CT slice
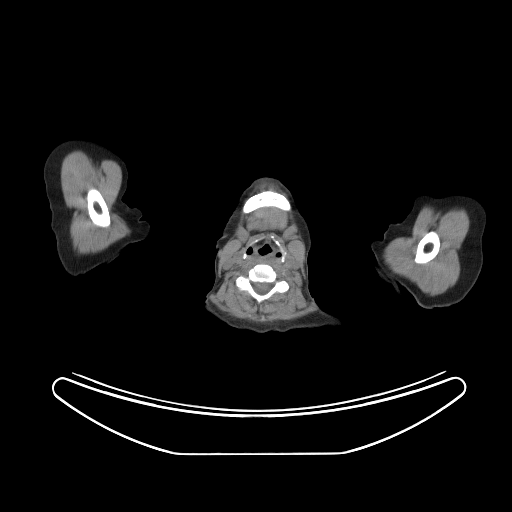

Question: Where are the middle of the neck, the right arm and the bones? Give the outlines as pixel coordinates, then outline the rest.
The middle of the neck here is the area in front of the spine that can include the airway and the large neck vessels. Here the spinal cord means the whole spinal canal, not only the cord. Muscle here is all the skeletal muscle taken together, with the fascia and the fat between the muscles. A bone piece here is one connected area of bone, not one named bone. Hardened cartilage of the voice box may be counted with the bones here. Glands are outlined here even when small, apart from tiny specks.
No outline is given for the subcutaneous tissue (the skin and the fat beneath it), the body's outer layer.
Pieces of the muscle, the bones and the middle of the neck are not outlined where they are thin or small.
Answer: The middle of the neck is outlined by 263,238 271,238 273,239 274,243 279,248 281,252 281,257 280,258 280,260 282,262 281,263 258,262 257,261 252,261 250,259 246,258 247,257 247,254 244,252 246,248 248,246 256,243 258,240 261,240. The right arm is outlined by 72,138 95,141 123,159 127,167 128,179 122,200 131,207 139,208 142,212 141,218 150,224 147,237 128,246 109,263 77,276 68,274 58,258 55,237 50,227 51,212 42,173 44,162 51,150 59,143. The bones appear in 5 outlined pieces: piece 1: 258,263 269,264 277,272 279,277 284,279 288,283 289,288 287,291 282,293 276,292 267,299 265,299 260,303 258,303 248,292 244,290 239,290 235,284 236,277 239,275 243,275 244,274 245,275 250,268; inner edge: 252,282 265,282 266,283 272,283 273,284 273,285 272,286 272,287 266,293 264,293 263,294 260,294 259,293 258,293 257,292 256,292 255,291 255,290 253,288 253,287 252,286 252,284 251,283; piece 2: 265,190 271,190 272,191 275,191 284,195 289,200 290,204 291,205 291,209 290,210 284,210 279,207 277,207 273,205 270,205 269,206 261,206 247,213 244,213 242,211 242,206 246,199 256,193 258,193; piece 3: 90,188 95,188 97,189 100,192 105,201 105,203 108,208 109,216 110,217 110,224 108,227 100,227 99,226 96,226 92,222 89,216 89,214 88,213 88,209 87,208 86,195 87,194 88,190; piece 4: 431,230 435,231 437,233 439,237 439,240 440,241 439,250 437,254 431,260 430,260 428,262 424,263 423,264 416,263 414,261 414,258 415,257 415,253 416,252 416,249 417,248 418,242 427,232; piece 5: 271,236 273,236 273,237 280,243 280,244 283,247 283,248 286,252 286,254 285,255 285,257 283,261 281,260 281,258 282,257 282,252 280,248 275,243 274,241 274,239 272,238. The submandibular glands appear in 2 outlined pieces: piece 1: 239,225 241,225 242,226 243,226 244,227 244,228 246,230 247,230 248,231 248,235 247,236 247,238 246,239 246,240 244,242 238,240 236,237 236,228 237,227 237,226 238,226; piece 2: 291,225 295,225 296,226 297,226 297,227 298,228 297,231 294,232 290,236 289,236 288,237 285,237 284,236 283,236 283,235 282,234 283,231 284,231 289,226 290,226. The spinal cord is outlined by 252,282 265,282 266,283 272,283 273,284 273,285 272,286 272,287 266,293 264,293 263,294 260,294 259,293 258,293 257,292 256,292 255,291 255,290 253,288 253,287 252,286 252,284 251,283. The head and neck is outlined by 262,176 277,178 293,195 297,206 307,223 311,237 311,247 307,260 310,292 317,304 324,311 344,321 345,324 343,326 256,333 231,327 204,309 205,296 211,289 215,278 215,244 220,237 240,194 253,180. The muscle appears in 4 outlined pieces: piece 1: 270,206 284,211 293,210 305,245 302,286 303,293 316,310 307,315 291,320 253,322 230,316 221,311 212,303 210,297 218,290 222,281 218,272 219,250 232,234 240,210 241,209 244,214 247,214 258,208, around a hole outlined by 271,236 280,243 286,254 281,263 269,264 279,277 288,283 289,288 282,293 276,292 258,303 248,292 238,289 235,279 239,275 245,275 250,268 258,263 257,261 243,258 246,248 253,244 255,240 270,238; piece 2: 424,204 433,205 437,209 440,209 444,212 456,206 464,207 470,216 470,226 459,250 460,274 458,280 455,285 443,293 434,296 424,293 412,282 392,273 384,264 381,257 383,248 392,239 410,234 414,221; inner edge: 431,230 435,231 437,233 439,237 439,240 440,241 439,250 437,254 431,260 430,260 428,262 424,263 423,264 416,263 414,261 414,258 415,257 415,253 416,252 416,249 417,248 418,242 427,232; piece 3: 73,149 84,151 95,162 99,162 102,159 107,158 112,159 119,164 122,179 113,209 133,230 130,235 112,244 106,249 93,254 77,254 72,248 69,235 72,212 66,206 63,198 60,183 60,166 64,155, around a hole outlined by 90,188 95,188 97,189 100,192 105,201 105,203 108,208 109,216 110,217 110,224 108,227 100,227 99,226 96,226 92,222 89,216 89,214 88,213 88,209 87,208 86,195 87,194 88,190; piece 4: 261,183 271,183 272,184 274,184 278,186 284,192 285,192 287,196 286,196 284,194 278,191 276,191 275,190 272,190 271,189 265,189 264,190 262,190 261,191 256,192 249,196 249,193 257,185. The left arm is outlined by 420,194 469,195 477,199 486,212 487,219 482,236 481,271 466,296 447,307 423,308 403,288 401,290 408,300 404,301 389,284 378,277 373,266 371,242 374,239 380,240 390,223 401,222 410,211 414,199.